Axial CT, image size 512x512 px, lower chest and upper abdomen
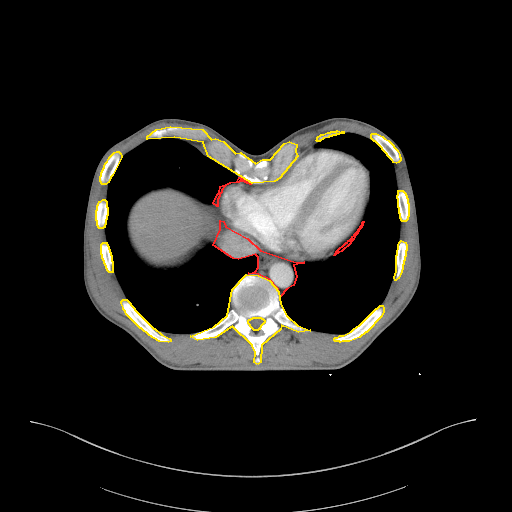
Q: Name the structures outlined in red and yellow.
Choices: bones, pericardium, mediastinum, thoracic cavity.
A: red: mediastinum; yellow: bones.
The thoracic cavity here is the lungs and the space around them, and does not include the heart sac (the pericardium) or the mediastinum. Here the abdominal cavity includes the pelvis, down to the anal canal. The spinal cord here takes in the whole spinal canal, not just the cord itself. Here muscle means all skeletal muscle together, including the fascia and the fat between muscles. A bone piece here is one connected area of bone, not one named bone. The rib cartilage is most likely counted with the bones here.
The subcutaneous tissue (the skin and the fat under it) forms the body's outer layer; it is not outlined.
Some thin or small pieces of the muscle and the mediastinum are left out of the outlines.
The mediastinum appears in 3 outlined pieces: piece 1: 220,220 223,221 225,226 247,238 260,250 296,262 304,262 293,265 296,276 293,285 286,289 280,296 278,289 269,279 258,274 248,273 255,271 258,267 258,257 255,254 238,259 233,258 213,245 220,229; piece 2: 239,177 240,178 242,178 249,183 251,183 246,183 242,181 239,181 238,182 230,183 224,186 221,190 221,192 219,194 219,196 217,199 217,206 213,203 217,194 219,192 220,186 229,182 237,181; piece 3: 363,221 361,227 358,230 357,233 355,235 353,239 350,242 350,243 341,251 338,252 334,255 336,251 346,242 347,242 348,240 349,240 352,237 352,236 354,235 354,234 358,230 358,229 362,224 362,222. The bones appear in 11 outlined pieces: piece 1: 246,274 258,275 269,280 278,291 280,304 286,315 297,325 310,330 298,332 281,325 280,329 261,345 260,362 257,364 254,362 255,352 252,345 232,326 215,337 197,340 190,336 214,326 227,315 232,289, around a hole outlined by 253,317 260,317 261,318 262,318 264,320 264,322 260,326 260,327 259,328 259,329 258,329 257,330 254,330 250,326 250,325 248,323 248,320 249,319 250,319 251,318 252,318; piece 2: 170,126 202,129 211,139 215,138 223,141 235,153 240,152 255,163 262,159 270,159 284,143 289,141 296,144 295,151 297,156 279,178 274,181 252,183 208,156 203,142 174,137 147,139 147,136 156,129; piece 3: 123,299 126,299 130,303 130,304 134,308 134,309 153,328 154,328 161,334 169,338 170,339 170,341 168,342 159,341 149,335 141,328 140,328 126,314 125,311 123,309 123,307 121,303 121,301; piece 4: 380,305 382,305 383,307 383,311 381,316 366,332 365,332 359,337 349,341 342,341 340,342 339,341 335,341 334,340 334,338 335,337 337,337 340,335 343,335 351,331 354,328 359,325 376,308 377,308; piece 5: 372,133 376,133 382,136 384,138 388,140 393,145 393,146 397,150 399,154 399,156 400,157 400,160 398,162 396,163 393,162 392,160 387,155 387,154 382,149 382,148 375,141 374,141 371,138 371,134; piece 6: 116,151 118,151 120,153 121,155 121,157 112,175 110,177 108,182 105,184 102,184 100,181 100,176 101,175 101,172 104,167 104,165 105,163 107,161 109,157 114,152; piece 7: 401,240 405,242 406,244 406,250 405,251 405,256 404,257 404,260 403,261 403,264 402,265 402,268 400,274 398,278 395,280 394,277 396,271 396,255 397,254 398,245 399,242; piece 8: 398,190 402,190 405,193 405,194 406,195 406,197 407,198 407,202 408,203 408,216 407,217 407,219 405,221 402,221 400,218 400,214 399,213 399,208 398,207 398,199 397,198 397,195 398,194; piece 9: 103,199 104,199 106,201 106,206 107,207 107,215 106,216 106,219 105,220 105,224 104,225 104,227 103,227 102,228 99,228 97,225 97,221 96,220 96,210 97,209 97,205 98,204 99,201 100,201; piece 10: 103,242 106,242 106,243 108,246 108,248 109,249 109,251 110,252 110,254 111,255 111,260 112,261 112,272 109,272 107,270 107,269 106,268 106,266 104,263 104,261 102,258 102,255 101,254 101,244; piece 11: 337,130 341,132 344,132 341,132 338,134 336,134 335,135 332,135 331,136 329,136 328,137 323,138 319,141 317,141 316,140 317,139 317,137 321,134 323,134 327,132 330,132 331,131 336,131. The abdominal cavity is outlined by 165,186 186,192 208,204 214,204 217,207 221,217 219,220 219,229 217,235 215,236 215,241 204,248 187,265 180,269 168,272 154,271 146,267 134,254 128,241 126,232 126,218 132,204 142,194 152,189. The spinal cord is outlined by 253,317 260,317 261,318 262,318 264,320 264,322 260,326 260,327 259,328 259,329 258,329 257,330 254,330 250,326 250,325 248,323 248,320 249,319 250,319 251,318 252,318. The torso is outlined by 339,116 372,124 390,136 403,151 415,199 421,254 419,285 411,301 357,358 330,371 178,371 159,363 130,335 95,309 83,281 84,217 94,171 110,146 154,120 173,117 210,126 242,149 259,154 301,127. The thoracic cavity appears in 2 outlined pieces: piece 1: 165,138 191,142 238,177 220,185 212,203 168,185 142,193 125,218 135,257 162,273 187,266 210,245 233,259 257,257 256,269 233,285 226,315 191,333 157,330 135,309 113,269 105,230 108,183 121,158; piece 2: 345,132 371,139 393,163 400,226 395,255 395,271 381,304 351,330 338,334 311,330 297,324 287,315 281,304 280,297 296,282 295,264 328,260 347,247 363,225 373,195 370,170 351,153 318,145 323,139. The muscle appears in 2 outlined pieces: piece 1: 159,123 198,126 219,138 211,138 199,127 156,128 122,156 114,151 100,172 100,183 107,184 106,199 99,200 95,210 96,225 104,228 106,238 100,244 101,258 125,296 120,301 125,314 149,336 168,343 171,339 161,331 190,334 200,341 232,327 251,345 253,362 257,365 261,362 262,345 281,326 298,333 337,334 333,340 340,343 362,336 382,316 382,303 393,278 399,278 406,256 400,227 408,219 409,203 406,193 398,189 394,165 401,157 412,201 417,256 415,282 406,299 352,355 334,364 284,367 177,365 160,357 99,305 87,278 87,226 99,169 117,146; piece 2: 335,121 347,121 357,123 370,127 382,135 376,132 372,132 369,138 354,132 341,131 337,129 331,130 318,135 316,139 304,149 303,152 298,155 296,151 298,147 297,144 293,140 289,140 297,135 322,127. The pericardium is outlined by 320,147 341,150 357,158 369,171 371,182 370,198 361,224 353,235 340,246 333,255 319,260 296,261 260,249 247,237 224,224 218,210 218,199 224,187 239,182 246,184 274,182 282,176 300,154 312,148.